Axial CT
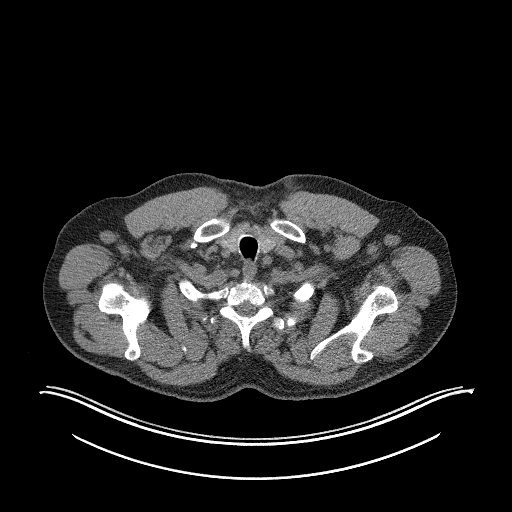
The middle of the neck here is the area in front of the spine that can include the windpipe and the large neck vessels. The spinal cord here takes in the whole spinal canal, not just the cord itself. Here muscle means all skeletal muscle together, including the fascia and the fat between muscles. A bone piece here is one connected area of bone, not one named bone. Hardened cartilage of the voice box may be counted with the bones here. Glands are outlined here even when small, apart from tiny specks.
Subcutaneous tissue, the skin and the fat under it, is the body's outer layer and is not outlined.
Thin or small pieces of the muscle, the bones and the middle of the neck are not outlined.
{"thyroid_glands":[[[240,229],[244,230],[244,234],[241,237],[240,237],[237,241],[236,243],[236,248],[235,249],[235,251],[234,252],[231,252],[229,251],[225,247],[223,247],[221,244],[221,241],[224,238],[225,238],[227,236],[231,234],[232,232],[236,230],[239,230]],[[260,230],[265,234],[266,234],[267,235],[274,238],[276,241],[276,242],[275,243],[275,245],[273,247],[273,248],[269,252],[268,252],[267,253],[262,253],[260,250],[260,247],[259,246],[259,243],[258,242],[258,240],[259,239],[259,231]]],"torso":[[[182,172],[252,185],[288,174],[321,174],[411,207],[437,228],[428,243],[428,265],[438,289],[455,308],[446,331],[417,364],[337,398],[277,399],[244,388],[215,401],[186,401],[78,359],[48,321],[66,303],[76,276],[63,225],[98,200],[130,195]]],"middle_of_the_neck":[[[255,226],[259,228],[257,242],[262,254],[269,253],[277,241],[287,248],[290,254],[289,257],[276,272],[274,278],[270,277],[269,273],[251,280],[228,277],[214,254],[215,246],[220,243],[223,248],[234,253],[238,241],[245,234],[245,230],[243,229]]],"bones":[{"outer":[[182,278],[201,292],[231,287],[243,279],[259,287],[267,284],[276,293],[272,298],[275,314],[289,312],[301,319],[281,330],[272,326],[270,318],[256,323],[249,333],[251,350],[247,351],[242,347],[238,326],[218,313],[217,302],[188,299],[178,286]],"hole":[[244,302],[248,302],[250,304],[251,304],[252,305],[253,305],[256,307],[256,311],[254,314],[253,314],[252,315],[250,315],[249,316],[247,316],[246,315],[241,315],[236,310],[236,309],[235,308],[235,307],[236,306],[237,306],[240,304],[242,304]]},[[381,284],[393,290],[397,297],[398,306],[393,312],[377,315],[361,341],[360,345],[371,351],[373,357],[363,363],[354,362],[350,356],[350,350],[356,335],[348,333],[332,340],[311,360],[312,349],[320,341],[346,325],[362,301],[373,290],[372,286]],[[109,282],[119,283],[132,296],[146,297],[151,303],[151,310],[146,320],[141,323],[136,330],[136,336],[140,347],[140,356],[132,361],[126,359],[124,356],[128,343],[123,332],[121,316],[119,314],[102,312],[98,307],[98,300],[102,291],[102,286]],[[219,216],[222,216],[228,219],[230,221],[230,228],[229,230],[223,235],[221,236],[219,236],[208,242],[200,242],[198,243],[195,247],[190,247],[190,245],[193,241],[193,236],[194,235],[194,233],[196,229],[205,221],[213,217],[218,217]],[[274,218],[282,218],[283,219],[286,219],[296,224],[303,231],[303,232],[305,234],[305,238],[306,239],[305,242],[304,243],[301,243],[300,242],[297,242],[296,241],[291,240],[283,236],[278,232],[275,231],[270,226],[270,221]],[[307,280],[312,282],[314,284],[314,287],[315,288],[315,289],[314,290],[314,293],[309,299],[308,299],[306,301],[305,301],[304,302],[295,302],[292,299],[290,293],[291,293],[292,292],[293,292],[295,290],[296,290],[305,281],[306,281]],[[206,314],[209,316],[210,316],[211,315],[215,315],[217,317],[217,319],[216,320],[216,321],[213,324],[212,324],[208,320],[207,320],[206,321],[205,321],[204,322],[203,322],[201,320],[201,317],[202,316],[203,316]]],"spinal_cord":[[[244,302],[248,302],[250,304],[251,304],[252,305],[253,305],[256,307],[256,311],[254,314],[253,314],[252,315],[250,315],[249,316],[247,316],[246,315],[241,315],[236,310],[236,309],[235,308],[235,307],[236,306],[237,306],[240,304],[242,304]]],"left_arm":[[[437,229],[438,229],[444,235],[447,241],[448,247],[449,248],[451,262],[455,273],[455,277],[456,278],[456,282],[457,283],[457,302],[456,303],[456,307],[450,303],[439,289],[432,275],[432,272],[429,265],[429,243],[430,242],[432,234]]],"right_arm":[[[62,226],[69,238],[69,241],[72,247],[72,251],[75,262],[75,276],[74,277],[74,281],[72,284],[72,287],[70,289],[65,303],[60,310],[53,317],[50,319],[48,319],[45,312],[44,304],[43,303],[42,284],[47,264],[52,254],[57,235]]],"muscle":[{"outer":[[199,186],[250,204],[298,190],[333,194],[428,250],[441,287],[412,351],[379,361],[361,345],[376,317],[399,306],[390,286],[373,284],[351,319],[309,353],[312,361],[332,341],[354,334],[349,356],[363,364],[348,380],[313,385],[260,363],[240,363],[201,383],[160,383],[133,361],[141,356],[137,330],[152,303],[115,281],[101,286],[97,307],[120,316],[124,358],[83,349],[58,283],[66,253],[144,202]],"holes":[[[255,226],[290,254],[274,278],[268,273],[251,280],[274,289],[276,315],[289,312],[301,319],[281,330],[270,318],[256,323],[247,351],[238,326],[218,313],[217,302],[188,299],[178,281],[186,278],[201,292],[239,282],[224,273],[214,248],[232,232]],[[219,216],[222,216],[228,219],[230,221],[230,228],[229,230],[223,235],[221,236],[219,236],[208,242],[200,242],[198,243],[195,247],[190,247],[190,245],[193,241],[193,236],[194,235],[194,233],[196,229],[205,221],[213,217],[218,217]],[[274,218],[282,218],[283,219],[286,219],[296,224],[303,231],[303,232],[305,234],[305,238],[306,239],[305,242],[304,243],[301,243],[300,242],[297,242],[296,241],[291,240],[283,236],[278,232],[275,231],[270,226],[270,221]],[[307,280],[312,282],[314,284],[314,287],[315,288],[315,289],[314,290],[314,293],[309,299],[308,299],[306,301],[305,301],[304,302],[295,302],[292,299],[290,293],[291,293],[292,292],[293,292],[295,290],[296,290],[305,281],[306,281]],[[206,314],[209,316],[210,316],[211,315],[215,315],[217,317],[217,319],[216,320],[216,321],[213,324],[212,324],[208,320],[207,320],[206,321],[205,321],[204,322],[203,322],[201,320],[201,317],[202,316],[203,316]]]}]}